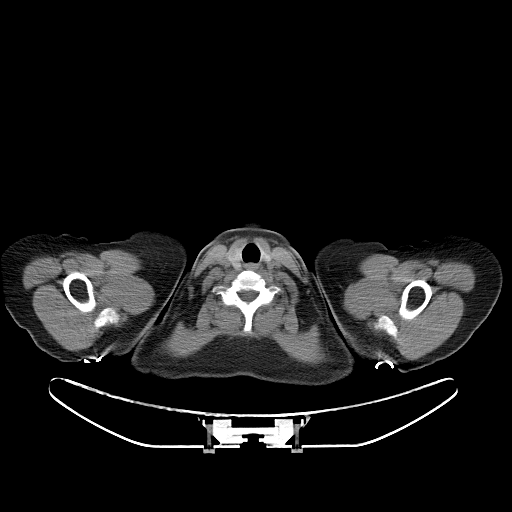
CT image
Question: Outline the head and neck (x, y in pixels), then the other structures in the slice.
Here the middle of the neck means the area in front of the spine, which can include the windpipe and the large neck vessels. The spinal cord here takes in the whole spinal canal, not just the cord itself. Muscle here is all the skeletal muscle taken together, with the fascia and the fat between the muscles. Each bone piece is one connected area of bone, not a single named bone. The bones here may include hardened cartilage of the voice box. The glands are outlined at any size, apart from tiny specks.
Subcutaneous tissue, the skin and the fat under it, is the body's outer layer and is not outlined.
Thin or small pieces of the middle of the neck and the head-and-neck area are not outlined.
Answer: Outlines:
head and neck: 247 220; 259 221; 268 228; 285 236; 297 250; 307 267; 312 270; 324 310; 324 319; 319 341; 302 363; 270 381; 245 375; 225 378; 187 378; 175 361; 171 346; 170 313; 174 291; 184 270; 186 272; 191 267; 200 250; 212 238
bones 1: 243 270; 252 270; 258 273; 268 285; 273 284; 280 288; 269 303; 263 304; 255 310; 251 321; 251 332; 249 333; 243 331; 245 319; 242 312; 233 305; 224 304; 221 296; 212 291; 213 287; 216 285; 228 285; 238 273, around a hole outlined by 242 290; 245 290; 246 291; 247 290; 252 290; 253 291; 255 291; 256 292; 257 292; 257 295; 252 300; 251 300; 250 301; 245 301; 244 300; 243 300; 239 296; 239 295; 238 294; 238 293; 240 291; 241 291
bones 2: 72 271; 78 271; 79 272; 83 273; 89 279; 93 286; 93 288; 94 289; 94 297; 96 301; 96 306; 95 308; 90 312; 82 312; 80 311; 68 299; 67 296; 64 292; 63 286; 62 285; 62 280; 63 278; 67 274; 68 274
bones 3: 416 279; 423 279; 428 283; 429 283; 432 288; 432 294; 430 297; 430 299; 429 301; 427 303; 425 307; 415 317; 414 317; 410 320; 405 320; 404 319; 402 319; 398 314; 398 309; 400 305; 400 296; 404 288; 412 280; 415 280
bones 4: 106 307; 112 307; 114 308; 121 316; 124 316; 125 315; 126 316; 126 319; 125 320; 121 320; 116 325; 106 325; 105 326; 103 326; 99 328; 97 330; 95 330; 94 329; 94 325; 93 324; 94 320; 97 316; 98 313; 102 309
bones 5: 382 314; 384 314; 388 316; 393 321; 398 331; 398 335; 397 336; 398 337; 397 339; 395 339; 390 335; 387 334; 384 331; 382 331; 381 330; 380 331; 378 331; 377 330; 375 330; 372 327; 371 324; 380 315
middle of the neck: 251 239; 259 242; 263 246; 264 262; 266 264; 271 261; 272 257; 284 267; 285 274; 283 277; 273 278; 252 269; 243 269; 237 273; 222 279; 211 277; 210 268; 224 256; 227 257; 235 269; 237 270; 241 270; 242 269; 242 264; 239 257; 240 247; 238 245
left arm: 451 233; 475 239; 486 245; 496 255; 500 262; 503 274; 501 291; 488 316; 457 351; 432 364; 402 372; 397 365; 390 363; 372 309; 372 287; 380 256; 385 245; 389 249; 395 249; 406 244; 416 246; 423 239; 436 241; 442 236
right arm: 39 232; 53 235; 68 232; 76 236; 85 236; 95 243; 119 240; 130 235; 132 238; 134 246; 134 275; 127 313; 114 340; 97 357; 64 362; 50 356; 35 345; 27 331; 14 321; 6 309; 2 277; 3 251; 17 239
spinal cord: 242 290; 245 290; 246 291; 247 290; 252 290; 253 291; 255 291; 256 292; 257 292; 257 295; 252 300; 251 300; 250 301; 245 301; 244 300; 243 300; 239 296; 239 295; 238 294; 238 293; 240 291; 241 291
torso 1: 340 237; 378 241; 384 244; 372 282; 370 302; 385 354; 389 361; 363 361; 357 359; 355 369; 349 376; 326 385; 306 386; 269 382; 294 370; 302 364; 310 356; 320 341; 325 319; 325 310; 313 271; 313 258; 320 247; 329 241
torso 2: 145 229; 172 234; 179 238; 187 249; 187 262; 173 291; 169 313; 172 355; 179 370; 186 378; 165 379; 151 374; 140 373; 131 367; 130 353; 119 357; 112 357; 108 354; 101 355; 115 340; 125 322; 135 275; 135 246; 131 234 with a hole at 167 304; 167 307; 166 308; 166 309; 165 310; 165 311; 164 312; 164 313; 163 314; 162 317; 159 320; 158 320; 158 317; 159 316; 159 315; 161 313; 162 310; 165 307; 165 306; 166 306; 167 305
muscle 1: 248 234; 275 239; 295 256; 327 316; 327 346; 331 360; 317 365; 304 364; 289 357; 271 339; 238 336; 231 338; 225 335; 217 336; 195 353; 183 358; 171 357; 155 350; 180 292; 187 286; 206 251; 217 241; 223 241; 234 235 with a hole at 251 239; 259 242; 268 255; 284 267; 285 274; 281 278; 259 274; 268 285; 276 285; 280 290; 269 303; 255 310; 248 333; 243 331; 242 312; 224 304; 221 296; 212 291; 216 285; 228 285; 238 274; 214 279; 210 268; 236 246
muscle 2: 372 253; 383 253; 392 256; 419 259; 452 259; 469 263; 473 266; 476 273; 476 282; 466 299; 461 320; 453 333; 440 346; 423 356; 415 359; 408 359; 385 339; 377 338; 361 331; 356 321; 342 308; 341 301; 343 284; 358 262, around holes outlined by 416 279; 423 279; 428 283; 429 283; 432 288; 432 294; 430 297; 430 299; 429 301; 427 303; 425 307; 415 317; 414 317; 410 320; 405 320; 404 319; 402 319; 398 314; 398 309; 400 305; 400 296; 404 288; 412 280; 415 280 and by 382 314; 384 314; 388 316; 393 321; 398 331; 398 335; 397 336; 398 337; 397 339; 395 339; 390 335; 387 334; 384 331; 382 331; 381 330; 380 331; 378 331; 377 330; 375 330; 372 327; 371 324; 380 315
muscle 3: 109 249; 125 250; 136 254; 143 260; 143 269; 155 290; 155 301; 153 305; 135 321; 133 326; 126 327; 97 340; 87 348; 78 350; 66 349; 48 333; 35 314; 21 282; 22 268; 33 257; 47 255; 49 253; 71 250; 103 251 with holes at 72 271; 78 271; 79 272; 83 273; 89 279; 93 286; 93 288; 94 289; 94 297; 96 301; 96 306; 95 308; 90 312; 82 312; 80 311; 68 299; 67 296; 64 292; 63 286; 62 285; 62 280; 63 278; 67 274; 68 274 and at 106 307; 112 307; 114 308; 121 316; 124 316; 125 315; 126 316; 126 319; 125 320; 121 320; 116 325; 106 325; 105 326; 103 326; 99 328; 97 330; 95 330; 94 329; 94 325; 93 324; 94 320; 97 316; 98 313; 102 309
thyroid glands 1: 236 246; 237 247; 238 246; 239 247; 239 250; 238 251; 238 257; 239 258; 239 261; 241 264; 241 269; 237 269; 236 268; 235 268; 235 267; 231 263; 231 262; 229 260; 229 259; 227 256; 227 255; 232 250; 233 250
thyroid glands 2: 265 250; 266 251; 266 252; 268 254; 268 255; 270 257; 270 261; 268 263; 266 263; 265 262; 265 253; 264 252; 265 251